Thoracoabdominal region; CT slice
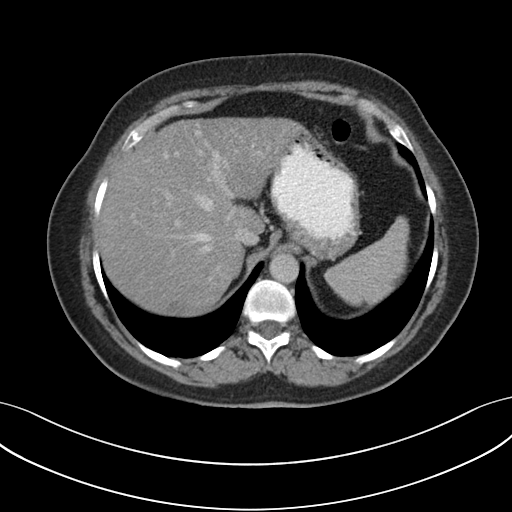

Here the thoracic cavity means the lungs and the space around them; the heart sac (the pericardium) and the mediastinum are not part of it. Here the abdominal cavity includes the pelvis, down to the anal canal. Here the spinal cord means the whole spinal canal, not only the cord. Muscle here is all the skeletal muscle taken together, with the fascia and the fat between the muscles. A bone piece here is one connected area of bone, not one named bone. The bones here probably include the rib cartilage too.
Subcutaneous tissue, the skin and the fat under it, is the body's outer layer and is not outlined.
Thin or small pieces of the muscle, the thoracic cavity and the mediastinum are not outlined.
The muscle is outlined by (301, 80) (320, 80) (327, 81) (331, 83) (338, 83) (346, 86) (356, 87) (384, 101) (403, 119) (414, 134) (442, 187) (448, 216) (448, 265) (447, 266) (446, 284) (443, 296) (439, 305) (423, 328) (394, 356) (353, 380) (331, 388) (311, 388) (305, 386) (298, 386) (271, 373) (257, 374) (249, 380) (235, 386) (219, 388) (198, 387) (180, 383) (138, 361) (122, 348) (111, 337) (110, 334) (91, 312) (90, 308) (85, 301) (79, 268) (78, 240) (82, 216) (86, 204) (87, 193) (99, 167) (102, 164) (110, 148) (116, 142) (125, 129) (133, 121) (146, 111) (149, 110) (161, 99) (179, 91) (195, 88) (204, 88) (227, 84) (257, 85) (264, 82) (272, 81) (274, 82) (282, 81) (283, 82) (284, 81) (300, 81) with a hole at (254, 91) (291, 92) (346, 105) (351, 104) (340, 98) (343, 94) (372, 101) (403, 128) (434, 193) (434, 276) (393, 345) (373, 360) (359, 364) (356, 355) (318, 357) (296, 316) (287, 325) (289, 342) (268, 363) (247, 341) (248, 324) (241, 315) (215, 358) (177, 357) (181, 364) (175, 368) (138, 346) (100, 289) (92, 262) (92, 251) (98, 249) (95, 197) (102, 180) (110, 180) (128, 152) (122, 146) (130, 131) (150, 115) (187, 100) (200, 105). The spinal cord is outlined by (265, 320) (271, 320) (272, 321) (276, 321) (277, 322) (280, 323) (280, 324) (281, 325) (281, 327) (282, 328) (282, 330) (277, 335) (276, 335) (269, 339) (267, 339) (266, 338) (263, 337) (256, 330) (256, 329) (255, 328) (258, 323) (259, 323) (262, 321) (264, 321). The bones appear in 11 outlined pieces: piece 1: (263, 279) (273, 280) (285, 286) (294, 299) (296, 309) (296, 316) (287, 325) (287, 329) (290, 333) (289, 342) (280, 346) (274, 352) (269, 363) (266, 361) (261, 350) (257, 346) (250, 344) (247, 341) (248, 324) (245, 318) (241, 315) (247, 293) (251, 286) (255, 282), around a hole outlined by (265, 320) (271, 320) (272, 321) (276, 321) (277, 322) (280, 323) (280, 324) (281, 325) (281, 327) (282, 328) (282, 330) (277, 335) (276, 335) (269, 339) (267, 339) (266, 338) (263, 337) (256, 330) (256, 329) (255, 328) (258, 323) (259, 323) (262, 321) (264, 321); piece 2: (343, 94) (348, 94) (354, 98) (365, 98) (375, 103) (375, 104) (383, 112) (387, 114) (403, 128) (413, 147) (413, 152) (398, 142) (389, 133) (384, 124) (375, 116) (367, 112) (363, 112) (358, 110) (355, 105) (353, 104) (352, 105) (349, 101) (340, 98) (340, 96); piece 3: (187, 100) (197, 101) (198, 104) (182, 108) (176, 115) (168, 117) (166, 119) (164, 119) (159, 123) (154, 125) (131, 148) (128, 150) (123, 150) (122, 149) (124, 141) (130, 131) (146, 118) (162, 109) (164, 109) (172, 105) (179, 105) (184, 101); piece 4: (136, 339) (142, 344) (143, 344) (146, 347) (154, 351) (156, 351) (165, 356) (167, 356) (171, 358) (176, 358) (179, 361) (180, 361) (181, 364) (178, 367) (175, 368) (169, 365) (165, 365) (164, 364) (162, 364) (152, 359) (150, 357) (149, 357) (138, 346) (135, 340); piece 5: (394, 337) (396, 337) (396, 340) (393, 345) (388, 350) (387, 350) (380, 356) (377, 357) (373, 360) (364, 362) (362, 364) (359, 364) (354, 361) (357, 356) (359, 356) (363, 354) (366, 354) (367, 353) (369, 353) (373, 351) (375, 349) (383, 345) (388, 341) (391, 340); piece 6: (93, 249) (96, 249) (99, 255) (99, 261) (100, 262) (100, 266) (101, 267) (101, 274) (103, 279) (103, 283) (104, 284) (104, 286) (110, 302) (107, 301) (104, 297) (100, 289) (98, 282) (96, 279) (96, 276) (93, 268) (93, 263) (92, 262) (92, 251); piece 7: (104, 178) (107, 178) (108, 180) (107, 182) (107, 187) (105, 190) (105, 193) (104, 194) (103, 200) (101, 204) (101, 207) (100, 208) (99, 215) (98, 216) (95, 216) (95, 213) (94, 212) (94, 203) (95, 202) (95, 197) (96, 196) (96, 193) (99, 187) (99, 185); piece 8: (434, 245) (437, 247) (437, 251) (438, 252) (437, 266) (435, 270) (434, 276) (427, 291) (425, 293) (423, 293) (424, 292) (424, 289) (426, 285) (426, 282) (427, 281) (427, 278) (429, 273) (429, 269) (431, 264) (431, 260) (432, 259) (432, 254) (433, 253); piece 9: (221, 344) (222, 344) (225, 346) (225, 349) (224, 350) (223, 350) (215, 358) (214, 358) (213, 359) (211, 359) (210, 360) (200, 360) (197, 358) (197, 357) (198, 356) (208, 352) (210, 350) (211, 350) (212, 349) (217, 347) (219, 345) (220, 345); piece 10: (425, 182) (426, 182) (430, 186) (435, 196) (435, 202) (436, 203) (436, 207) (435, 208) (435, 214) (434, 215) (432, 215) (431, 214) (431, 212) (430, 211) (430, 208) (428, 204) (428, 201) (427, 200) (427, 192) (426, 191) (426, 188) (425, 187); piece 11: (311, 344) (314, 344) (315, 345) (316, 345) (318, 347) (319, 347) (323, 350) (328, 352) (330, 354) (332, 354) (333, 355) (334, 355) (335, 356) (335, 357) (332, 359) (322, 359) (321, 358) (318, 357) (316, 355) (316, 354) (311, 349) (311, 348) (310, 347). The mediastinum appears in 2 outlined pieces: piece 1: (281, 251) (288, 251) (290, 252) (292, 254) (295, 255) (301, 262) (299, 266) (299, 272) (295, 282) (294, 296) (293, 296) (291, 292) (285, 285) (273, 279) (263, 278) (255, 281) (263, 265) (263, 263) (260, 261) (261, 261) (266, 256) (268, 256) (275, 252) (280, 252); piece 2: (373, 116) (375, 117) (375, 118) (378, 121) (381, 122) (383, 124) (384, 127) (387, 130) (388, 133) (397, 142) (396, 144) (396, 143) (389, 136) (377, 131) (376, 129) (376, 127) (375, 126) (375, 124) (374, 123) (374, 121) (373, 120) (373, 118) (372, 117). The torso is outlined by (291, 51) (327, 53) (363, 62) (396, 79) (414, 97) (454, 160) (473, 201) (479, 250) (470, 292) (454, 322) (421, 362) (386, 387) (355, 399) (307, 408) (225, 408) (146, 391) (108, 369) (62, 310) (46, 254) (47, 224) (54, 199) (108, 110) (142, 79) (196, 59). The thoracic cavity appears in 3 outlined pieces: piece 1: (431, 215) (433, 221) (433, 247) (425, 285) (417, 306) (401, 330) (373, 350) (359, 355) (335, 355) (315, 344) (303, 331) (297, 316) (294, 297) (301, 264) (304, 266) (304, 279) (309, 295) (315, 307) (324, 316) (340, 321) (361, 317) (371, 312) (404, 284) (424, 252); piece 2: (259, 262) (262, 263) (261, 268) (246, 293) (240, 317) (234, 331) (217, 346) (194, 357) (171, 357) (146, 346) (134, 337) (116, 313) (108, 295) (102, 274) (102, 269) (111, 285) (126, 300) (140, 310) (160, 317) (189, 319) (205, 316) (220, 308) (246, 281) (254, 267); piece 3: (397, 143) (399, 143) (405, 147) (413, 154) (419, 167) (422, 178) (424, 181) (424, 187) (426, 192) (426, 198) (422, 193) (422, 191) (420, 188) (420, 186) (418, 182) (418, 179) (417, 178) (416, 173) (414, 170) (414, 168) (412, 165) (400, 153) (400, 151) (397, 146). The abdominal cavity is outlined by (254, 91) (353, 105) (371, 116) (376, 131) (389, 137) (413, 168) (430, 212) (425, 246) (403, 284) (371, 311) (347, 320) (324, 315) (310, 295) (305, 265) (288, 250) (260, 260) (220, 307) (189, 318) (140, 309) (102, 268) (99, 216) (108, 182) (128, 151) (185, 108).